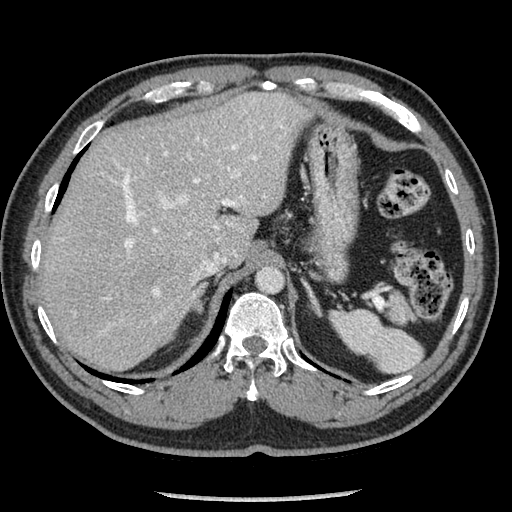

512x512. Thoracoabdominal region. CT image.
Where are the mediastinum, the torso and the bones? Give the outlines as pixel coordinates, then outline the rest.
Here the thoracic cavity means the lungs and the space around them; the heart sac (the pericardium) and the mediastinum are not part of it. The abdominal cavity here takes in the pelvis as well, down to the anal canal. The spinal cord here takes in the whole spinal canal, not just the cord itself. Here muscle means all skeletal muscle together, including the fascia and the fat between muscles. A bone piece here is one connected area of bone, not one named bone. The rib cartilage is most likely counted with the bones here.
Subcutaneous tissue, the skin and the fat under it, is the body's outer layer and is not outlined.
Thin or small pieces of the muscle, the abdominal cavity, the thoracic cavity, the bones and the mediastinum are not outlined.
The mediastinum appears in 3 outlined pieces: piece 1: [[278,84],[297,86],[300,90],[304,91],[317,90],[322,94],[329,95],[334,98],[338,98],[342,100],[359,101],[372,104],[382,110],[388,116],[413,134],[421,143],[404,142],[388,139],[384,137],[377,130],[343,114],[324,99],[288,88],[284,88]]; piece 2: [[265,262],[277,263],[283,268],[287,276],[288,287],[291,297],[289,313],[291,316],[292,330],[289,332],[289,330],[284,322],[284,316],[279,305],[272,298],[264,293],[253,290],[245,291],[235,298],[229,308],[229,303],[235,285],[248,273]]; piece 3: [[231,84],[239,85],[231,86],[225,89],[222,92],[202,97],[175,107],[137,116],[102,128],[106,123],[115,118],[124,109],[133,104],[140,102],[151,104],[160,104],[167,102],[174,98],[178,98],[186,95],[209,94],[213,92],[214,90],[218,90]]. The torso is outlined by [[296,51],[339,54],[405,77],[433,99],[466,144],[488,188],[499,246],[497,293],[481,345],[462,378],[429,416],[404,433],[362,447],[312,455],[199,457],[112,439],[50,393],[12,331],[0,273],[1,229],[11,190],[66,109],[111,74],[192,53]]. The bones appear in 10 outlined pieces: piece 1: [[251,291],[278,305],[298,353],[319,370],[311,371],[288,360],[286,371],[274,376],[274,364],[266,359],[254,371],[258,394],[253,401],[246,397],[251,379],[248,366],[234,359],[230,372],[222,366],[226,346],[217,356],[204,359],[215,347],[236,298]]; inner edge: [[252,336],[257,336],[258,337],[259,337],[260,338],[261,338],[262,339],[263,339],[266,342],[266,347],[262,351],[261,351],[259,353],[258,353],[256,355],[252,355],[243,346],[243,340],[244,339],[245,339],[246,338],[248,338],[249,337],[251,337]]; piece 2: [[303,77],[313,78],[319,83],[328,81],[345,82],[364,89],[378,91],[406,107],[417,118],[422,127],[422,130],[417,134],[412,133],[388,115],[380,107],[372,103],[334,97],[322,88],[315,90],[300,89],[297,85],[293,83],[293,80]]; piece 3: [[187,80],[191,80],[193,82],[193,84],[186,91],[185,95],[174,97],[167,101],[164,101],[160,103],[152,103],[149,101],[146,101],[142,99],[142,96],[147,91],[151,89],[156,88],[164,84],[167,84],[170,82],[173,82],[174,81],[186,81]]; piece 4: [[103,118],[106,118],[106,120],[105,121],[104,125],[101,128],[101,129],[97,133],[97,134],[80,151],[79,151],[74,156],[72,154],[72,151],[73,150],[73,148],[81,132],[84,129],[84,128],[92,122],[96,121],[99,119],[102,119]]; piece 5: [[408,373],[412,373],[413,377],[406,383],[394,389],[392,389],[391,390],[389,390],[382,393],[374,394],[373,395],[365,395],[362,392],[364,390],[372,386],[380,384],[382,382],[384,382],[385,381],[387,381],[388,380],[399,377],[402,375],[404,375]]; piece 6: [[99,378],[101,379],[105,379],[106,380],[110,380],[111,381],[114,381],[119,383],[129,384],[130,385],[134,385],[138,387],[141,387],[144,389],[144,392],[141,394],[130,394],[129,393],[125,393],[124,392],[113,389],[105,385],[102,382],[101,382]]; piece 7: [[464,296],[468,296],[469,297],[469,303],[468,304],[467,311],[465,314],[464,319],[461,323],[460,326],[458,328],[456,332],[450,338],[449,338],[449,336],[451,334],[451,331],[452,330],[452,324],[456,317],[456,314],[458,311],[460,302],[462,300]]; piece 8: [[38,305],[41,305],[43,307],[45,311],[45,313],[47,315],[47,317],[49,319],[49,321],[53,328],[53,331],[58,341],[58,344],[55,344],[51,340],[51,339],[48,336],[48,335],[44,330],[39,320],[39,318],[37,314],[37,307]]; piece 9: [[55,182],[59,182],[60,183],[59,184],[59,187],[58,188],[58,191],[57,192],[57,194],[56,195],[55,200],[53,203],[53,205],[52,206],[51,211],[49,213],[46,213],[44,211],[44,203],[45,202],[45,196],[46,195],[49,188]]; piece 10: [[36,238],[38,238],[40,240],[40,242],[41,243],[41,253],[40,254],[40,260],[39,261],[39,265],[38,266],[38,268],[36,271],[34,271],[32,269],[32,266],[31,265],[31,249],[32,248],[32,244],[33,243],[33,242],[34,241],[34,240]]. The spinal cord is outlined by [[252,336],[257,336],[258,337],[259,337],[260,338],[261,338],[262,339],[263,339],[266,342],[266,347],[262,351],[261,351],[259,353],[258,353],[256,355],[252,355],[243,346],[243,340],[244,339],[245,339],[246,338],[248,338],[249,337],[251,337]]. The muscle is outlined by [[232,62],[261,70],[314,64],[375,82],[425,119],[472,188],[481,217],[484,266],[468,342],[430,388],[375,420],[320,428],[285,416],[258,399],[255,377],[266,360],[273,364],[274,377],[287,371],[289,361],[346,383],[373,384],[361,392],[365,396],[382,394],[409,382],[457,332],[468,311],[470,297],[462,298],[464,241],[453,205],[459,190],[452,171],[445,167],[443,175],[430,147],[414,135],[423,127],[406,106],[350,82],[303,76],[293,79],[294,85],[265,79],[215,89],[201,79],[194,85],[196,94],[186,94],[194,84],[191,79],[161,84],[141,96],[149,102],[133,103],[107,122],[103,117],[86,125],[60,182],[44,196],[43,211],[49,218],[43,242],[36,237],[31,244],[30,265],[39,277],[42,305],[36,314],[50,340],[55,345],[59,340],[105,386],[130,395],[141,395],[145,389],[138,386],[215,358],[226,347],[222,368],[230,373],[234,360],[250,372],[246,399],[231,411],[179,430],[121,419],[67,386],[41,357],[26,324],[21,255],[25,227],[44,175],[77,126],[152,76]], around a hole outlined by [[468,227],[471,228],[472,230],[472,232],[473,233],[473,237],[474,238],[474,244],[475,245],[475,247],[474,248],[474,252],[472,255],[470,255],[469,254],[465,246],[465,232],[466,231],[466,229]]. The thoracic cavity appears in 4 outlined pieces: piece 1: [[229,290],[232,290],[232,293],[228,303],[227,315],[223,327],[217,337],[214,347],[201,360],[194,365],[175,374],[171,374],[174,370],[179,368],[180,366],[186,362],[194,354],[200,346],[202,345],[203,342],[209,335],[222,305],[224,296]]; piece 2: [[78,362],[94,370],[96,370],[98,372],[101,372],[104,374],[107,374],[110,376],[113,376],[114,377],[130,378],[131,379],[154,378],[155,380],[149,383],[144,383],[139,385],[135,385],[129,383],[119,382],[110,379],[101,378],[90,373],[84,369]]; piece 3: [[87,145],[88,145],[87,147],[77,160],[77,162],[75,164],[69,176],[67,185],[65,188],[65,190],[63,192],[59,203],[57,205],[55,210],[52,212],[52,209],[59,191],[61,181],[66,171],[68,169],[74,157]]; piece 4: [[298,350],[299,350],[300,352],[303,353],[308,358],[309,358],[316,364],[328,372],[335,374],[344,379],[347,379],[351,382],[346,382],[341,378],[337,378],[334,376],[332,376],[330,374],[328,374],[320,370],[316,366],[301,356]]. The abdominal cavity is outlined by [[247,84],[322,99],[388,140],[428,147],[437,160],[463,241],[462,292],[447,339],[414,371],[356,383],[300,351],[289,333],[288,276],[274,261],[229,289],[201,345],[156,379],[98,371],[58,339],[42,303],[42,244],[50,213],[88,144],[104,128]].